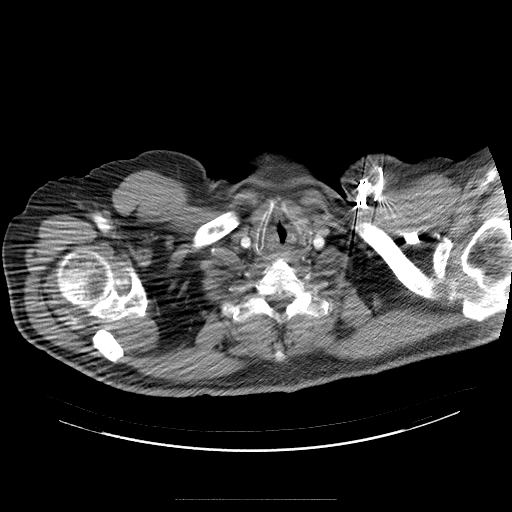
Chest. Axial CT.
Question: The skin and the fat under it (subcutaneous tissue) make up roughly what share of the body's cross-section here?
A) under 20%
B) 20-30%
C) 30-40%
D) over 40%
Answer: B) 20-30%
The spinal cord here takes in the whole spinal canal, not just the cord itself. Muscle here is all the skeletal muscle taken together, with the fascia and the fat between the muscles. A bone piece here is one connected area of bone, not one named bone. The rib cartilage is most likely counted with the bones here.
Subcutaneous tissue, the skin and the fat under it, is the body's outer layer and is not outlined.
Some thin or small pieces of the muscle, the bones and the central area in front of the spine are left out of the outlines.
Outlines (x, y in pixels):
spinal cord: 283,293 284,293 286,296 292,296 293,298 292,300 288,304 287,304 286,306 282,310 276,310 268,302 266,298 268,296 270,296 274,294 278,294 280,295
muscle: 492,162 508,221 484,219 459,255 482,289 478,302 462,299 462,315 482,322 501,313 487,329 460,326 374,358 313,352 175,383 109,365 124,356 109,324 91,336 108,360 101,362 52,344 24,310 34,227 50,215 89,221 112,210 112,190 138,170 185,183 189,205 212,208 255,179 281,176 306,182 294,191 312,187 345,207 430,173 462,186 with holes at 78,246 87,246 96,251 110,264 119,295 127,294 131,287 130,277 124,269 128,265 122,264 130,261 146,292 148,302 144,317 135,317 130,314 108,323 88,315 85,310 63,297 57,289 54,274 63,256 and at 279,257 296,270 299,278 309,273 309,283 325,282 327,285 320,288 317,295 330,298 332,310 319,317 298,313 282,324 263,313 240,322 224,315 220,308 223,302 236,304 245,299 230,287 259,279 266,266 and at 271,200 284,204 290,215 296,219 306,219 314,229 325,228 327,233 323,240 323,245 319,249 310,247 303,254 288,251 279,255 260,256 251,251 246,251 234,243 236,236 254,231 260,223 260,217 269,207 and at 357,220 360,220 363,222 371,222 376,226 381,228 395,242 403,253 416,266 427,275 429,275 431,277 432,279 432,299 433,300 425,298 411,291 396,277 392,270 377,252 364,241 352,228 352,225 354,224 and at 230,210 233,210 237,212 239,216 239,220 240,221 239,222 239,224 229,233 218,240 213,242 211,244 205,245 195,249 192,246 192,243 193,242 193,237 194,236 194,234 197,229 201,225 208,222 217,216 and at 445,236 452,241 453,243 453,247 451,250 450,255 447,260 447,264 445,267 445,277 444,278 441,278 440,279 436,279 434,272 432,269 432,255 436,247 436,245 440,241 440,240 441,240 442,238 and at 278,349 280,349 283,352 283,353 284,354 284,355 285,356 285,357 284,358 284,359 282,361 277,361 275,359 275,357 274,356 274,354 275,353 275,352
central area in front of the spine: 274,208 279,208 287,216 299,236 303,234 302,219 306,219 314,229 325,228 327,233 323,245 319,249 310,247 303,254 288,251 260,256 234,243 236,236 251,233 256,228 256,251 262,254 265,250 266,226
torso: 485,145 495,165 467,189 449,249 462,290 507,298 485,345 290,393 160,397 95,380 16,327 86,314 119,268 105,219 49,180 169,149 236,182 251,154 277,150 343,197 341,172 368,152 459,160
bones 1: 78,246 87,246 96,251 110,264 119,295 127,294 131,287 130,277 124,269 128,265 122,264 130,261 146,292 148,302 144,317 135,317 130,314 108,323 88,315 85,310 63,297 57,289 54,274 63,256
bones 2: 487,218 493,218 506,222 508,222 509,220 511,227 511,282 508,286 505,311 498,312 482,321 476,321 467,318 463,315 462,301 463,299 465,299 478,303 483,298 483,289 462,269 460,265 460,255 471,236
bones 3: 279,257 296,270 299,278 309,273 309,283 325,282 327,285 320,288 317,295 330,298 332,310 319,317 298,313 282,324 263,313 240,322 224,315 220,308 223,302 236,304 245,299 230,287 259,279 266,266 with a hole at 283,293 284,293 286,296 292,296 293,298 292,300 288,304 287,304 286,306 282,310 276,310 268,302 266,298 268,296 270,296 274,294 278,294 280,295
bones 4: 357,220 360,220 363,222 371,222 376,226 381,228 395,242 403,253 416,266 427,275 429,275 431,277 432,279 432,299 433,300 425,298 411,291 396,277 392,270 377,252 364,241 352,228 352,225 354,224
bones 5: 230,210 233,210 237,212 239,216 239,220 240,221 239,222 239,224 229,233 218,240 213,242 211,244 205,245 195,249 192,246 192,243 193,242 193,237 194,236 194,234 197,229 201,225 208,222 217,216
bones 6: 108,325 109,325 107,327 108,328 107,329 112,333 114,337 117,340 123,349 123,356 116,362 113,362 107,359 103,355 102,355 102,354 97,349 94,348 92,343 92,336 96,332 96,331 99,329 104,328
bones 7: 271,200 284,204 290,215 296,219 301,219 302,224 300,225 300,229 302,234 299,235 296,232 288,216 279,207 274,207 263,234 264,250 262,253 259,253 255,237 256,230 260,224 260,217 269,207
bones 8: 445,236 452,241 453,243 453,247 451,250 450,255 447,260 447,264 445,267 445,277 444,278 441,278 440,279 436,279 434,272 432,269 432,255 436,247 436,245 440,241 440,240 441,240 442,238
bones 9: 278,349 280,349 283,352 283,353 284,354 284,355 285,356 285,357 284,358 284,359 282,361 277,361 275,359 275,357 274,356 274,354 275,353 275,352
right arm: 47,181 54,182 62,186 68,192 95,210 104,219 117,244 118,268 113,285 108,294 95,307 86,313 76,318 64,321 42,325 16,326 11,314 9,294 3,271 1,256 3,237 11,218 25,207 32,192
left arm: 494,166 496,167 503,184 508,208 508,219 511,227 511,282 508,286 507,297 500,299 491,299 481,297 462,289 455,282 450,268 450,249 452,242 452,236 456,225 457,216 461,203 468,189 472,184 481,175